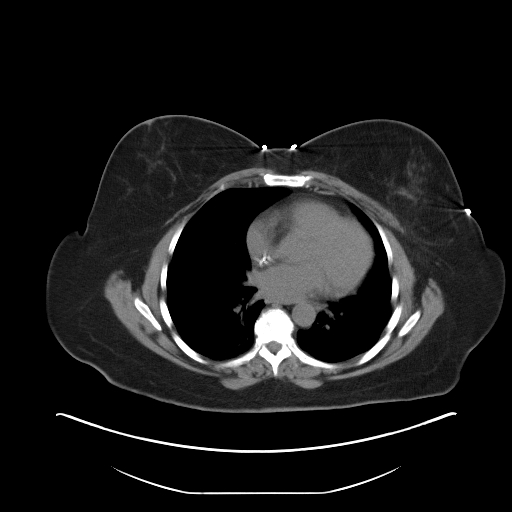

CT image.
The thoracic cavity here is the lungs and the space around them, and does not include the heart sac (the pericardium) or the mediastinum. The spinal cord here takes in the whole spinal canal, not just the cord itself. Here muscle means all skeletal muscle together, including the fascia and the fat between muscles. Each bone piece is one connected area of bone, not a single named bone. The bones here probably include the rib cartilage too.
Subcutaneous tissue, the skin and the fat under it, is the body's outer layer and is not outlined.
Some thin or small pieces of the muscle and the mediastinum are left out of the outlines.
pericardium: 295,194 317,195 338,204 341,204 357,218 369,234 373,244 374,252 373,262 355,293 347,295 336,301 323,300 312,303 281,304 272,299 256,285 251,272 251,259 246,245 246,234 248,227 254,218 264,210
bones 1: 268,308 281,308 287,313 294,326 292,335 303,351 318,360 336,363 339,367 335,369 316,367 290,356 279,363 275,377 271,364 259,355 234,367 219,367 220,363 236,358 252,347 255,340 254,324 261,311; inner edge: 272,341 274,341 275,342 276,342 277,343 278,343 279,344 280,344 280,348 276,352 275,352 274,353 273,352 272,352 271,351 270,351 269,350 269,349 267,347 267,345 268,344 268,343 269,343
bones 2: 260,173 286,174 287,175 292,175 293,174 308,175 310,174 311,175 313,175 314,178 313,179 313,184 310,187 304,187 303,186 294,187 293,186 282,186 281,185 269,186 268,185 265,185 263,183 260,177
bones 3: 398,304 401,304 402,305 401,313 400,314 399,319 395,327 393,329 388,341 372,358 360,365 355,365 354,364 355,362 361,356 361,355 372,347 384,334 385,332 385,327 391,316 391,314 394,308
bones 4: 172,331 176,332 179,335 179,336 193,350 194,350 197,353 201,355 202,357 207,361 207,363 206,364 203,364 202,363 200,363 194,360 189,356 188,356 177,345 177,344 172,338 172,336 171,335 171,332
bones 5: 135,297 138,297 139,298 140,298 149,307 152,314 154,316 154,317 156,319 156,320 159,323 159,324 161,327 161,330 158,330 157,329 156,329 153,326 153,325 136,308 136,307 134,304 134,298
bones 6: 418,309 419,309 420,310 420,316 417,320 416,323 410,329 410,330 407,333 406,333 404,335 399,337 398,336 398,332 401,328 401,327 403,325 403,324 405,322 405,321 416,310 417,310
bones 7: 373,221 376,221 382,227 387,237 387,239 389,242 389,244 391,247 391,250 392,251 392,256 393,257 393,259 392,260 392,263 390,265 388,264 387,253 386,252 386,250 385,249 385,247 384,246 383,241
bones 8: 161,297 164,298 166,302 166,304 168,308 168,311 169,312 169,314 173,322 173,325 171,329 170,329 165,323 162,317 161,312 160,311 160,306 159,305 159,301
bones 9: 184,220 186,222 185,223 185,225 176,242 175,247 171,255 169,254 168,252 168,246 169,245 169,243 175,231 177,229 179,225
bones 10: 393,275 395,275 397,277 397,279 398,280 398,283 399,284 399,290 398,291 398,295 397,296 397,298 396,299 396,300 395,301 394,301 393,302 392,302 391,301 391,283 392,282 392,279 391,278
bones 11: 165,262 166,262 168,264 168,266 167,267 167,275 166,276 166,289 165,289 164,290 162,290 161,289 161,287 160,286 160,276 161,275 161,269 162,268 162,266 163,265 163,264
bones 12: 221,184 224,184 226,186 226,188 225,189 224,189 223,190 222,190 221,191 218,192 216,194 215,194 212,197 211,197 208,200 207,200 207,198 210,195 210,194 211,193 212,193 216,189 217,189
torso: 166,114 218,122 262,149 297,148 371,118 401,120 429,134 450,162 463,209 500,254 506,275 499,316 470,352 455,387 442,395 346,408 214,412 124,390 71,356 46,320 51,257 66,234 85,228 122,135
spinal cord: 272,341 274,341 275,342 276,342 277,343 278,343 279,344 280,344 280,348 276,352 275,352 274,353 273,352 272,352 271,351 270,351 269,350 269,349 267,347 267,345 268,344 268,343 269,343
mediastinum 1: 250,270 255,285 278,304 301,305 323,301 331,301 317,313 315,322 309,328 299,329 294,336 293,335 295,328 294,323 288,313 283,308 268,307 263,309 265,305 264,301 258,297 257,288 254,285 250,284
mediastinum 2: 312,186 320,186 323,188 327,188 335,193 343,196 344,198 351,202 348,204 351,211 341,203 338,203 325,197 312,193 295,193 268,207 280,198 282,198 284,196 287,196 290,193 290,190 286,187 310,188
thoracic cavity 1: 240,186 281,186 287,188 289,193 260,211 250,222 245,234 250,259 249,284 256,288 257,297 264,303 253,324 253,343 248,350 236,357 212,359 193,349 174,325 167,304 168,267 177,242 190,219 218,193
thoracic cavity 2: 350,203 369,218 382,241 391,277 390,306 392,311 381,336 367,350 343,361 328,362 303,350 295,337 299,330 309,329 316,322 318,313 330,302 339,302 343,298 355,294 373,265 375,257 373,240 350,208
muscle: 250,167 270,168 278,173 260,172 263,184 260,185 227,187 221,183 187,222 184,219 178,225 170,238 167,252 171,258 169,263 162,264 159,276 160,289 166,290 166,301 161,296 158,305 166,326 170,330 174,326 176,330 170,332 176,345 203,365 208,363 203,356 226,360 217,365 219,368 234,368 259,356 270,364 275,378 280,363 290,357 312,367 335,370 340,367 337,363 359,355 353,364 360,366 386,345 403,309 401,303 393,309 391,306 398,298 400,284 395,274 390,275 389,266 394,257 388,237 376,220 372,221 343,195 313,185 313,174 296,173 310,169 338,177 389,210 403,228 395,236 414,269 414,295 420,295 429,278 441,289 444,310 413,350 382,368 328,380 315,388 268,378 235,390 213,376 188,370 162,357 128,331 104,295 109,275 121,269 133,288 138,288 152,251 167,231 165,224 173,215 219,178, around holes outlined by 135,297 138,297 139,298 140,298 149,307 152,314 154,316 154,317 156,319 156,320 159,323 159,324 161,327 161,330 158,330 157,329 156,329 153,326 153,325 136,308 136,307 134,304 134,298 and by 418,309 419,309 420,310 420,316 417,320 416,323 410,329 410,330 407,333 406,333 404,335 399,337 398,336 398,332 401,328 401,327 403,325 403,324 405,322 405,321 416,310 417,310